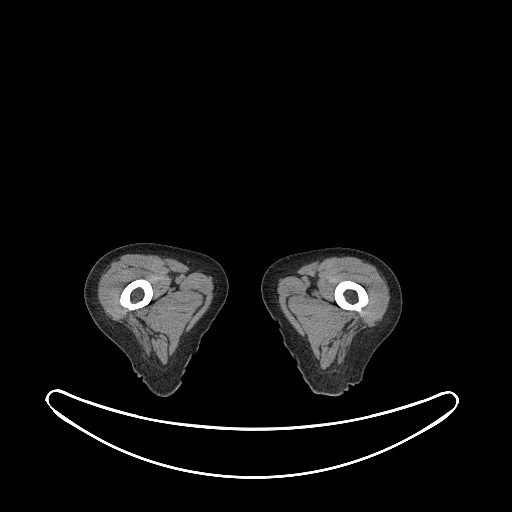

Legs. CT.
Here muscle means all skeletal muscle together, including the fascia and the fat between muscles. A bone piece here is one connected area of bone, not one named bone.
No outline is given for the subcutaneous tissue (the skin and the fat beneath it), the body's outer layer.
The right leg is outlined by 136,242 167,244 206,254 215,259 222,266 228,279 229,287 224,304 202,336 199,347 191,358 179,387 173,394 166,397 153,394 136,375 126,355 97,327 84,301 83,290 85,280 94,263 106,252 116,247. The muscle appears in 2 outlined pieces: piece 1: 127,253 155,253 173,257 190,268 211,276 213,280 213,297 208,309 190,331 181,337 175,357 171,365 164,371 154,369 144,359 134,335 128,329 108,318 98,300 97,287 101,275 109,267 113,260; inner edge: 140,278 146,279 151,284 152,290 153,291 153,294 152,295 151,300 148,304 140,308 134,309 133,310 129,310 126,307 122,306 119,301 121,292 127,284 128,284 133,280 139,279; piece 2: 331,256 353,256 375,266 387,283 390,299 382,319 376,326 367,329 366,331 361,331 353,338 341,371 330,376 318,372 314,366 312,353 308,343 301,338 282,312 278,302 277,284 278,280 294,267 with a hole at 343,280 351,280 352,281 354,281 360,284 365,289 368,295 368,302 366,305 361,308 359,312 356,310 348,310 347,309 344,309 340,307 336,303 335,301 335,298 334,297 334,290 335,289 336,285 339,282. The bones appear in 2 outlined pieces: piece 1: 343,280 351,280 352,281 354,281 360,284 365,289 368,295 368,302 366,305 361,308 359,312 356,310 348,310 347,309 344,309 340,307 336,303 335,301 335,298 334,297 334,290 335,289 336,285 339,282; piece 2: 140,278 146,279 151,284 152,290 153,291 153,294 152,295 151,300 148,304 140,308 134,309 133,310 129,310 126,307 122,306 119,301 121,292 127,284 128,284 133,280 139,279. The left leg is outlined by 337,246 368,252 386,263 400,284 402,310 394,329 376,349 368,362 364,370 363,379 359,383 351,385 341,395 330,396 314,393 303,379 294,359 284,345 277,323 265,307 260,285 264,272 276,260 298,252.